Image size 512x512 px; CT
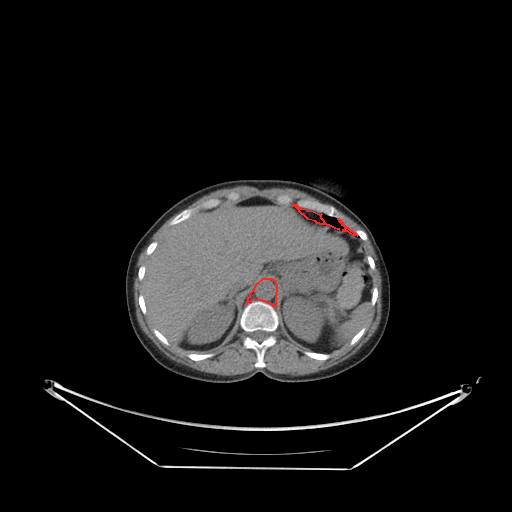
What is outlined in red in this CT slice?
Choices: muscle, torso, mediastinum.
red: mediastinum.
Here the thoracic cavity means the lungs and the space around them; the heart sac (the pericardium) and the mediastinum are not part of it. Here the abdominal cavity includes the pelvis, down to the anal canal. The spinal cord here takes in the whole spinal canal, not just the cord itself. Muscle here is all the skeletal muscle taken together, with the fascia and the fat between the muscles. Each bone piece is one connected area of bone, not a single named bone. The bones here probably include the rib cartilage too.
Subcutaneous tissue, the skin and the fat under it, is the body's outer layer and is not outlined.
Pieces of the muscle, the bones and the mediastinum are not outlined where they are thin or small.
The mediastinum appears in 3 outlined pieces: piece 1: [[263,278],[271,278],[275,281],[275,283],[276,284],[276,292],[275,293],[275,307],[274,307],[270,303],[266,302],[265,301],[263,301],[262,300],[260,300],[259,299],[252,300],[245,304],[248,300],[248,297],[250,295],[251,292],[254,289],[256,284]]; piece 2: [[292,204],[295,204],[300,208],[306,209],[307,210],[313,211],[319,214],[321,214],[320,215],[320,217],[326,224],[329,224],[339,229],[337,229],[324,224],[320,224],[319,223],[317,223],[315,221],[308,219],[303,214],[302,214],[296,207],[293,206]]; piece 3: [[338,219],[339,219],[346,227],[347,227],[350,230],[351,230],[353,232],[354,232],[357,235],[353,235],[347,231],[345,231],[344,230],[342,230],[345,230],[346,229],[345,228],[345,227],[343,225],[342,225],[342,224],[339,221],[339,220]]. The thoracic cavity is outlined by [[322,214],[325,214],[330,217],[334,217],[335,218],[336,218],[338,220],[338,221],[341,224],[341,225],[342,226],[343,226],[345,229],[340,229],[339,228],[338,228],[337,227],[336,227],[329,223],[326,223],[322,219],[322,218],[321,217],[321,215]]. The bones appear in 13 outlined pieces: piece 1: [[256,300],[270,304],[274,308],[278,317],[278,326],[273,333],[276,341],[264,353],[263,357],[265,362],[264,367],[254,366],[257,359],[256,353],[253,349],[246,348],[243,346],[243,339],[245,336],[245,333],[240,326],[240,318],[244,307],[248,303]]; inner edge: [[257,330],[261,330],[262,331],[265,331],[268,333],[268,335],[267,336],[267,337],[266,338],[265,338],[261,342],[258,342],[256,340],[255,340],[254,339],[253,339],[250,336],[250,333],[251,333],[254,331],[256,331]]; piece 2: [[300,199],[308,199],[313,201],[317,201],[327,205],[332,205],[337,209],[339,214],[339,218],[334,216],[330,216],[325,213],[319,213],[313,210],[310,210],[306,208],[300,207],[296,204],[296,201]]; piece 3: [[211,198],[218,198],[221,200],[221,202],[216,206],[214,207],[211,207],[210,208],[200,208],[192,212],[190,215],[185,219],[172,225],[170,225],[169,224],[169,222],[182,210],[187,208],[192,208],[200,204],[202,202],[206,200],[208,200]]; piece 4: [[192,352],[193,353],[214,353],[215,354],[212,357],[209,357],[208,358],[206,358],[205,359],[202,359],[201,360],[193,360],[192,359],[191,359],[190,358],[189,358],[187,356],[187,355],[188,354],[188,353],[191,353]]; piece 5: [[303,351],[312,351],[313,352],[317,352],[318,353],[325,353],[326,354],[329,354],[330,355],[330,356],[329,357],[329,358],[328,358],[325,360],[320,360],[319,359],[315,359],[314,358],[312,358],[311,357],[309,357],[307,355],[304,354]]; piece 6: [[282,194],[286,194],[287,195],[288,195],[289,196],[290,196],[292,198],[292,199],[293,200],[293,201],[291,203],[290,203],[289,204],[286,204],[285,203],[279,203],[277,201],[277,197],[279,195],[281,195]]; piece 7: [[364,326],[366,328],[366,329],[365,330],[365,331],[364,332],[364,333],[361,336],[361,337],[353,345],[350,345],[350,344],[349,343],[350,342],[350,340]]; piece 8: [[153,328],[155,328],[157,330],[158,330],[168,340],[168,341],[169,342],[169,344],[168,345],[166,345],[165,344],[164,344],[155,335],[155,334],[153,332]]; piece 9: [[140,294],[142,294],[143,295],[143,297],[144,298],[144,301],[145,302],[145,306],[146,307],[146,311],[147,312],[147,313],[146,314],[144,314],[142,312],[142,311],[140,308],[140,306],[139,305],[139,301],[138,300],[138,298],[139,297],[139,295]]; piece 10: [[232,191],[233,192],[237,192],[239,194],[239,197],[238,198],[238,199],[237,200],[235,200],[234,201],[233,201],[232,200],[227,200],[226,199],[226,195],[228,193],[229,193],[230,192],[231,192]]; piece 11: [[374,286],[375,286],[377,288],[377,298],[376,299],[376,301],[375,302],[375,304],[374,305],[373,305],[372,306],[371,305],[371,304],[370,303],[371,302],[371,297],[372,296],[372,288]]; piece 12: [[155,241],[156,242],[157,242],[158,243],[157,244],[157,245],[156,246],[156,247],[155,248],[155,249],[149,255],[147,255],[146,254],[146,249],[147,248],[147,247],[148,246],[148,245],[150,243],[151,243],[152,242],[154,242]]; piece 13: [[358,229],[359,230],[363,230],[367,234],[367,236],[368,237],[367,238],[367,239],[366,240],[362,240],[359,237],[359,236],[355,232],[355,231],[356,230],[357,230]]. The abdominal cavity is outlined by [[252,197],[291,204],[308,220],[361,240],[372,282],[369,313],[364,325],[339,349],[330,353],[313,351],[289,335],[279,322],[275,309],[277,284],[271,277],[255,284],[239,325],[212,349],[184,349],[152,325],[142,281],[149,256],[170,226],[200,209]]. The torso is outlined by [[313,171],[352,189],[355,199],[344,202],[370,228],[385,261],[390,311],[374,350],[339,374],[307,382],[282,382],[260,372],[237,382],[206,382],[156,362],[133,331],[125,296],[128,261],[142,235],[170,206],[204,186],[233,179],[303,183],[302,175]]. The muscle appears in 5 outlined pieces: piece 1: [[368,238],[377,256],[382,280],[381,318],[373,335],[354,354],[324,370],[292,376],[275,373],[265,368],[265,353],[277,341],[274,333],[279,323],[293,340],[309,350],[303,350],[304,355],[320,361],[329,359],[332,352],[339,350],[348,342],[350,346],[353,346],[362,337],[367,329],[365,324],[370,308],[376,304],[378,298],[378,288],[373,286],[371,274],[376,264],[373,257],[366,254],[362,241]]; piece 2: [[147,245],[147,262],[137,269],[141,282],[137,300],[154,335],[166,346],[171,342],[184,350],[207,352],[223,344],[238,325],[244,333],[242,346],[255,353],[255,368],[235,375],[196,370],[170,359],[144,333],[135,313],[133,287],[137,260]], around a hole outlined by [[192,352],[193,353],[214,353],[215,354],[212,357],[209,357],[208,358],[206,358],[205,359],[202,359],[201,360],[193,360],[192,359],[191,359],[190,358],[189,358],[187,356],[187,355],[188,354],[188,353],[191,353]]; piece 3: [[241,185],[252,186],[260,190],[275,187],[297,189],[323,202],[308,198],[300,198],[297,199],[295,203],[292,203],[294,201],[293,198],[286,193],[279,194],[276,197],[276,201],[262,196],[252,196],[245,199],[238,200],[240,197],[240,194],[237,191],[232,190],[225,195],[225,199],[227,201],[232,201],[226,201],[221,203],[222,200],[220,198],[211,197],[192,207],[187,207],[197,199],[213,191]]; piece 4: [[175,214],[176,214],[168,222],[169,227],[163,235],[163,237],[160,240],[160,241],[158,242],[155,240],[154,241],[152,241],[150,242],[148,244],[153,234],[162,225],[162,224],[166,220],[167,220],[170,217],[171,217]]; piece 5: [[338,210],[341,211],[343,213],[344,213],[346,215],[347,215],[350,218],[351,218],[355,222],[356,222],[363,229],[359,229],[358,228],[357,229],[356,229],[354,231],[353,231],[347,226],[346,226],[340,219],[340,214],[339,213],[339,211]]. The spinal cord is outlined by [[257,330],[261,330],[262,331],[265,331],[268,333],[268,335],[267,336],[267,337],[266,338],[265,338],[261,342],[258,342],[256,340],[255,340],[254,339],[253,339],[250,336],[250,333],[251,333],[254,331],[256,331]].